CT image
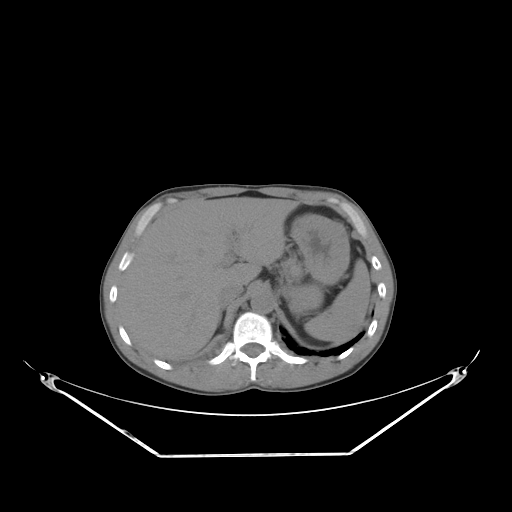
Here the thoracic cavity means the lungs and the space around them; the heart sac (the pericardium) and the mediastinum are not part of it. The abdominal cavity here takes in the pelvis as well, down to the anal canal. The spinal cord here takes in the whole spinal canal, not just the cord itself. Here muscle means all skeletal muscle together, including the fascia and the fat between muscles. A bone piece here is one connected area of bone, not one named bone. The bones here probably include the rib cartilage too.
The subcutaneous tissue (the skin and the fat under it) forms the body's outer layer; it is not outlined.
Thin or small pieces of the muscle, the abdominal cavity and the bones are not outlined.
{"spinal_cord":[[[248,343],[256,343],[257,344],[259,344],[260,345],[261,345],[263,347],[263,350],[260,353],[259,353],[256,356],[254,356],[253,357],[252,357],[251,356],[249,356],[246,353],[245,353],[241,349],[242,348],[242,347],[244,345],[245,345]]],"abdominal_cavity":[[[249,191],[327,206],[351,223],[376,285],[366,330],[317,353],[298,346],[282,327],[274,333],[272,298],[265,291],[254,291],[237,309],[232,329],[201,357],[170,363],[150,355],[130,338],[116,302],[122,272],[133,260],[143,232],[154,217],[184,201]]],"thoracic_cavity":[[[279,328],[282,328],[298,347],[307,349],[317,354],[322,351],[330,350],[347,344],[363,331],[365,332],[356,342],[339,353],[336,356],[336,358],[322,358],[315,356],[291,354],[287,352],[281,347],[279,342],[274,338],[274,334],[277,333]],[[228,330],[232,330],[231,331],[231,338],[224,343],[220,351],[217,354],[210,357],[205,361],[201,361],[200,362],[197,362],[196,363],[188,363],[188,362],[192,360],[194,360],[195,359],[199,359],[204,356],[216,344],[216,343],[220,339],[223,334]]],"torso":[[[202,183],[324,185],[344,191],[363,208],[393,261],[397,296],[391,324],[382,345],[356,373],[338,382],[302,392],[276,393],[250,389],[232,395],[202,396],[148,379],[120,359],[109,342],[99,313],[98,291],[103,268],[129,220],[147,199],[169,187]]],"mediastinum":[[[254,292],[265,292],[271,298],[271,305],[273,308],[273,320],[275,321],[273,322],[275,323],[273,325],[270,320],[265,315],[260,314],[254,311],[247,310],[240,313],[238,315],[238,309],[240,306]]],"bones":[{"outer":[[247,311],[265,316],[272,325],[273,338],[280,347],[291,355],[305,356],[307,362],[292,364],[272,356],[256,366],[254,381],[250,379],[250,366],[246,362],[237,360],[233,365],[227,358],[218,364],[209,364],[207,361],[217,355],[232,338],[238,316]],"hole":[[248,343],[256,343],[257,344],[259,344],[260,345],[261,345],[263,347],[263,350],[260,353],[259,353],[256,356],[254,356],[253,357],[252,357],[251,356],[249,356],[246,353],[245,353],[241,349],[242,348],[242,347],[244,345],[245,345]]},[[329,198],[336,198],[340,201],[345,201],[349,203],[352,206],[352,207],[357,212],[363,221],[363,223],[367,231],[367,235],[366,237],[361,236],[357,232],[356,229],[352,224],[350,218],[347,215],[347,214],[336,204],[334,204],[330,202],[328,200]],[[157,202],[162,202],[163,203],[163,205],[162,207],[151,218],[149,222],[145,226],[141,234],[139,236],[137,236],[135,234],[135,228],[136,227],[136,225],[140,217],[142,215],[142,214],[148,208],[148,207],[149,207],[152,204],[154,203],[156,203]],[[126,251],[128,251],[129,252],[132,252],[133,253],[133,258],[132,259],[132,260],[130,262],[130,263],[127,266],[127,267],[124,270],[121,271],[120,270],[119,270],[119,269],[118,268],[118,265],[119,264],[119,262],[120,261],[123,254]],[[120,325],[122,325],[123,326],[123,327],[125,329],[125,330],[126,331],[126,332],[127,333],[127,334],[129,336],[129,338],[131,341],[131,345],[128,345],[126,343],[125,343],[125,342],[122,339],[122,338],[120,336],[120,334],[119,333],[119,326]],[[373,318],[376,319],[376,320],[377,321],[377,326],[376,327],[376,329],[375,330],[374,333],[372,335],[372,336],[369,337],[365,333],[366,332],[366,331],[367,330],[367,329],[368,328],[368,327],[369,326],[369,325],[370,324],[370,323]],[[154,358],[156,358],[157,359],[159,359],[160,360],[162,360],[163,361],[165,361],[166,362],[169,363],[172,366],[172,368],[171,369],[164,369],[163,368],[161,368],[160,367],[159,367],[156,364],[155,364],[154,363],[154,362],[153,361],[153,359]],[[373,255],[374,255],[377,257],[377,258],[379,260],[379,261],[381,264],[381,268],[378,270],[377,270],[376,269],[375,269],[374,268],[373,268],[373,267],[372,266],[372,265],[370,262],[370,260],[371,259],[371,257]],[[353,345],[353,350],[347,356],[346,356],[344,358],[343,358],[342,359],[337,359],[337,356],[339,354],[340,354],[342,352],[343,352],[345,350],[346,350],[349,347],[350,347],[351,346],[352,346]]],"muscle":[{"outer":[[216,187],[238,187],[239,188],[281,187],[282,188],[293,188],[294,189],[299,189],[300,190],[317,190],[318,191],[332,192],[341,195],[347,200],[354,204],[363,214],[370,225],[372,230],[374,232],[389,264],[391,270],[391,274],[392,275],[392,280],[393,281],[393,293],[389,305],[389,310],[386,318],[386,321],[379,339],[372,349],[362,359],[356,363],[351,368],[338,375],[336,375],[328,379],[325,379],[315,383],[312,383],[307,385],[303,385],[302,386],[298,386],[297,387],[290,387],[289,388],[270,387],[269,386],[262,386],[256,383],[250,383],[243,387],[237,389],[227,389],[221,391],[207,391],[206,390],[201,390],[200,389],[195,389],[194,388],[187,387],[163,379],[151,373],[149,371],[138,366],[132,362],[121,351],[114,339],[114,337],[111,332],[110,327],[106,319],[105,311],[104,310],[104,294],[103,293],[104,292],[104,282],[105,281],[107,271],[131,224],[137,215],[145,207],[148,206],[158,197],[164,194],[170,193],[171,192],[179,192],[180,191],[197,190],[202,188],[215,188]],"holes":[[[249,191],[296,203],[327,206],[350,222],[347,214],[328,199],[336,198],[352,206],[367,231],[363,237],[354,227],[352,236],[361,242],[368,261],[373,255],[379,260],[380,269],[370,265],[371,276],[376,285],[383,282],[386,288],[384,298],[375,292],[374,333],[370,337],[364,333],[342,359],[307,356],[307,362],[292,364],[272,356],[256,366],[254,381],[250,379],[250,366],[246,362],[237,360],[233,365],[229,358],[213,365],[206,360],[171,363],[171,369],[159,367],[153,356],[133,341],[128,345],[122,339],[118,304],[109,299],[111,287],[120,285],[122,272],[118,265],[123,254],[133,252],[141,237],[135,234],[140,217],[157,202],[163,205],[155,217],[190,199]],[[168,198],[169,198],[170,198],[171,198],[172,198],[173,198],[174,198],[175,198],[176,199],[176,200],[175,201],[174,201],[173,202],[172,202],[171,203],[170,203],[169,203],[168,203],[167,203],[166,202],[166,201],[166,200],[167,199]]]}]}